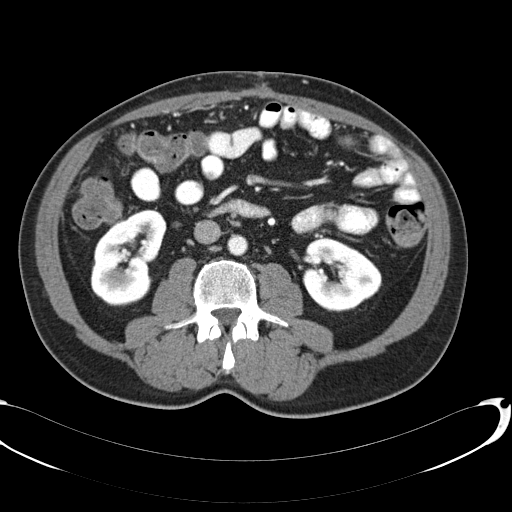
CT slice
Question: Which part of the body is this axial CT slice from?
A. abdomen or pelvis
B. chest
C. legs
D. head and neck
Answer: A. abdomen or pelvis
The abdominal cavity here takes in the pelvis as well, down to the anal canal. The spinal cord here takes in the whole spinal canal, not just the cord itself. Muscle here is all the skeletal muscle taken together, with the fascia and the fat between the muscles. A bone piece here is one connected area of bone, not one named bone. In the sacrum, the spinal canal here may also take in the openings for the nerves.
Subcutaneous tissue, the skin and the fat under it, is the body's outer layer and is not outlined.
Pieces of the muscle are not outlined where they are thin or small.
Outlines:
muscle: (265, 86) (281, 93) (286, 93) (287, 94) (292, 94) (312, 98) (316, 100) (326, 102) (329, 104) (332, 104) (335, 106) (341, 107) (359, 114) (371, 120) (388, 131) (402, 143) (413, 150) (428, 164) (441, 187) (449, 214) (450, 253) (449, 254) (447, 275) (444, 282) (443, 289) (437, 303) (429, 315) (427, 320) (416, 331) (398, 341) (391, 343) (386, 347) (386, 349) (383, 353) (376, 356) (359, 361) (344, 362) (339, 364) (327, 366) (317, 373) (312, 383) (301, 395) (293, 399) (276, 402) (272, 400) (262, 398) (241, 387) (229, 375) (222, 376) (219, 378) (219, 381) (201, 388) (199, 390) (181, 390) (175, 392) (170, 392) (158, 389) (142, 381) (135, 371) (131, 367) (129, 367) (125, 362) (96, 351) (84, 344) (75, 335) (74, 327) (60, 318) (55, 312) (51, 305) (49, 298) (46, 293) (44, 284) (39, 274) (35, 257) (35, 225) (36, 224) (37, 213) (43, 194) (52, 175) (61, 160) (66, 153) (78, 141) (88, 134) (118, 118) (126, 112) (161, 99) (184, 94) (189, 94) (196, 92) (222, 91) (223, 90) (236, 91) (242, 89) (254, 88) (255, 87) (264, 87), around a hole outlined by (244, 97) (401, 150) (429, 217) (410, 298) (379, 334) (336, 349) (329, 328) (300, 317) (289, 272) (256, 263) (258, 305) (288, 326) (261, 320) (225, 374) (224, 335) (164, 328) (196, 308) (197, 262) (184, 256) (152, 313) (107, 339) (60, 257) (75, 177) (115, 126)
spinal cord: (221, 308) (237, 308) (240, 310) (240, 312) (237, 316) (237, 317) (233, 324) (232, 324) (231, 325) (229, 325) (228, 326) (226, 326) (225, 325) (222, 325) (221, 324) (220, 324) (218, 319) (212, 313) (212, 312) (214, 310) (216, 310) (217, 309) (220, 309)
bones: (220, 259) (246, 264) (255, 278) (258, 305) (288, 323) (285, 327) (261, 320) (256, 340) (244, 338) (233, 343) (235, 361) (228, 374) (222, 368) (227, 340) (224, 335) (199, 342) (195, 323) (164, 328) (166, 324) (177, 322) (195, 311) (193, 284) (197, 273) (205, 263), around a hole outlined by (221, 308) (237, 308) (240, 310) (240, 312) (237, 316) (237, 317) (233, 324) (232, 324) (231, 325) (229, 325) (228, 326) (226, 326) (225, 325) (222, 325) (221, 324) (220, 324) (218, 319) (212, 313) (212, 312) (214, 310) (216, 310) (217, 309) (220, 309)
torso: (218, 70) (300, 73) (345, 85) (402, 121) (443, 167) (464, 217) (467, 280) (445, 352) (413, 387) (371, 405) (311, 418) (269, 415) (228, 393) (181, 409) (158, 409) (88, 388) (41, 342) (28, 311) (18, 264) (22, 212) (39, 173) (68, 137) (103, 111) (163, 82)
abdominal cavity: (244, 97) (319, 112) (401, 150) (429, 217) (410, 298) (379, 334) (336, 349) (329, 328) (300, 317) (302, 290) (280, 263) (256, 263) (255, 274) (212, 259) (195, 275) (184, 256) (152, 313) (132, 318) (124, 341) (107, 339) (81, 315) (60, 257) (75, 177) (115, 126)